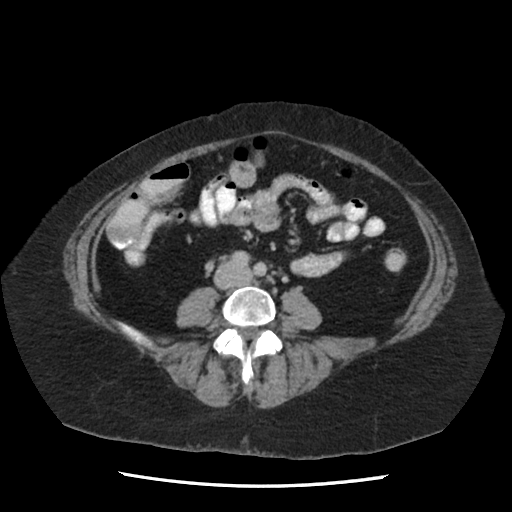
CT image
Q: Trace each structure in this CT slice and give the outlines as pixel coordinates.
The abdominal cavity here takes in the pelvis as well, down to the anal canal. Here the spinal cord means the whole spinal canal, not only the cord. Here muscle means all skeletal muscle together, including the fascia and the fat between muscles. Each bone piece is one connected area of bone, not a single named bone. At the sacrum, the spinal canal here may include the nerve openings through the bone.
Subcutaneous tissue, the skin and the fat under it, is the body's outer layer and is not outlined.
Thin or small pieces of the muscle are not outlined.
A: The bones appear in 2 outlined pieces: piece 1: 244 286; 256 286; 269 293; 275 304; 276 313; 268 326; 282 342; 282 348; 274 354; 265 354; 252 359; 253 376; 248 384; 245 384; 241 377; 241 361; 234 355; 223 355; 213 348; 214 339; 228 325; 221 311; 222 305; 234 290 with a hole at 247 326; 253 326; 254 327; 257 327; 258 328; 259 328; 259 334; 258 335; 258 336; 253 340; 251 340; 250 341; 246 341; 245 340; 244 340; 243 339; 242 336; 239 333; 239 329; 240 328; 243 328; 244 327; 246 327; piece 2: 113 319; 120 320; 136 328; 138 330; 142 332; 146 336; 147 336; 147 337; 152 341; 153 344; 150 347; 148 347; 141 343; 138 343; 134 341; 132 339; 131 339; 125 333; 122 332; 119 329; 119 328; 113 322; 112 320. The torso is outlined by 275 99; 327 105; 370 121; 403 141; 452 196; 469 225; 487 277; 505 309; 489 360; 471 393; 436 434; 375 453; 319 459; 193 452; 106 439; 64 425; 38 390; 14 340; 4 303; 3 268; 56 198; 96 165; 185 119; 241 101. The abdominal cavity is outlined by 260 134; 359 165; 413 211; 429 263; 389 332; 308 334; 323 317; 297 287; 282 292; 279 310; 256 285; 234 289; 220 309; 213 287; 197 287; 176 308; 176 326; 192 329; 180 333; 151 333; 102 307; 96 251; 124 197; 158 169. The spinal cord is outlined by 247 326; 253 326; 254 327; 257 327; 258 328; 259 328; 259 334; 258 335; 258 336; 253 340; 251 340; 250 341; 246 341; 245 340; 244 340; 243 339; 242 336; 239 333; 239 329; 240 328; 243 328; 244 327; 246 327. The muscle is outlined by 269 129; 286 131; 289 133; 301 136; 310 140; 323 143; 329 143; 353 152; 375 164; 393 179; 396 180; 413 195; 419 198; 433 212; 438 221; 443 226; 451 243; 455 254; 457 262; 457 270; 458 271; 455 278; 455 287; 450 299; 444 305; 443 309; 433 319; 431 324; 424 330; 405 340; 398 341; 391 345; 384 347; 376 352; 364 354; 354 359; 335 374; 325 379; 309 392; 306 392; 301 395; 296 396; 280 405; 271 408; 256 408; 249 403; 246 397; 243 397; 236 401; 234 404; 228 406; 213 407; 202 403; 199 400; 196 399; 189 391; 178 387; 165 373; 162 372; 154 364; 153 360; 150 357; 141 353; 136 347; 133 346; 129 342; 121 339; 103 327; 96 325; 74 308; 72 293; 69 288; 69 284; 65 279; 63 273; 63 250; 71 233; 75 229; 77 224; 81 220; 84 214; 105 194; 125 181; 130 181; 134 177; 142 173; 146 169; 154 165; 161 159; 197 145; 201 145; 217 140; 222 140; 227 138; 240 136; 247 133, around a hole outlined by 260 134; 323 149; 395 187; 413 211; 429 263; 408 307; 389 332; 308 334; 322 323; 320 310; 297 287; 283 291; 279 310; 268 325; 282 348; 253 358; 253 376; 245 384; 241 361; 213 348; 214 339; 228 325; 217 306; 220 294; 213 287; 197 287; 178 304; 174 322; 190 331; 151 333; 137 327; 152 341; 148 347; 122 332; 112 320; 116 318; 102 307; 96 251; 116 207; 146 176.